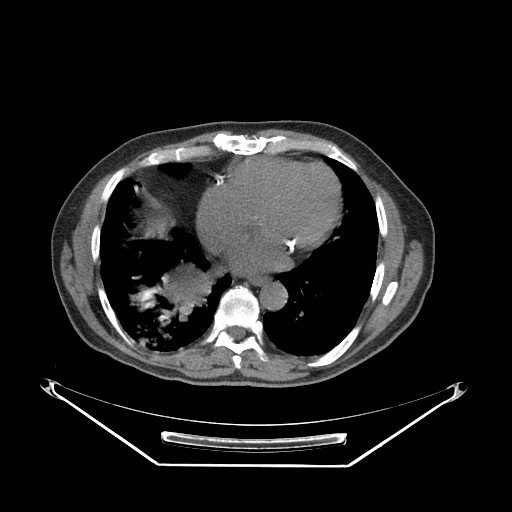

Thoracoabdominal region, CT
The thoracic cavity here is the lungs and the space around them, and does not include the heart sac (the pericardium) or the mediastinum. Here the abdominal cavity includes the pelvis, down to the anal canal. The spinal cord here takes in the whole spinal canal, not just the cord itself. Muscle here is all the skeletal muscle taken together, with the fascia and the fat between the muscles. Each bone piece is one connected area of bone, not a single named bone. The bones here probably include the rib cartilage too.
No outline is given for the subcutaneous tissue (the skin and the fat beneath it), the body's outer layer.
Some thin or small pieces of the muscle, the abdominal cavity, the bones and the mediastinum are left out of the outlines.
The bones appear in 9 outlined pieces: piece 1: 219 132; 229 135; 250 136; 254 134; 266 137; 284 135; 294 139; 330 143; 336 145; 355 164; 357 172; 320 152; 298 149; 246 155; 217 150; 210 156; 192 157; 182 161; 172 160; 138 167; 138 163; 154 151; 210 144; 211 139; piece 2: 239 285; 246 287; 257 299; 258 318; 262 322; 264 334; 262 347; 269 359; 262 361; 257 353; 249 348; 241 352; 240 368; 237 369; 232 359; 234 354; 232 350; 225 346; 215 347; 212 342; 201 344; 201 341; 212 326; 221 296 with a hole at 232 326; 239 326; 240 327; 242 327; 243 328; 244 328; 245 329; 246 329; 246 336; 243 339; 242 339; 241 340; 235 340; 229 334; 229 333; 228 332; 228 329; 230 327; 231 327; piece 3: 359 323; 361 324; 361 328; 357 336; 350 345; 350 346; 338 358; 337 358; 331 363; 326 365; 322 365; 321 366; 306 366; 306 363; 307 362; 315 360; 318 357; 326 353; 335 346; 336 346; 349 333; 349 332; 355 326; 355 325; piece 4: 101 286; 102 286; 104 289; 107 299; 116 316; 116 318; 121 328; 128 336; 134 340; 135 342; 133 345; 133 347; 130 346; 121 337; 121 336; 116 331; 106 316; 102 308; 102 306; 99 299; 99 296; 98 295; 98 287; 100 287; piece 5: 124 166; 127 167; 128 169; 125 172; 123 178; 121 179; 116 184; 110 196; 108 198; 107 202; 106 203; 102 202; 101 201; 101 195; 102 194; 102 191; 104 188; 104 186; 106 184; 106 183; 108 181; 110 177; 118 169; piece 6: 377 194; 379 194; 380 195; 382 199; 382 202; 385 210; 385 215; 386 216; 386 220; 387 221; 387 233; 385 237; 382 237; 379 234; 379 225; 378 224; 378 219; 377 218; 376 208; 375 207; 375 202; 374 201; 374 198; piece 7: 381 260; 382 260; 384 262; 384 273; 383 274; 383 279; 382 280; 379 291; 376 296; 376 298; 375 300; 373 302; 372 302; 370 300; 370 298; 369 297; 369 295; 370 294; 370 290; 371 289; 373 278; 375 274; 376 266; piece 8: 97 224; 98 224; 100 226; 100 235; 99 236; 99 258; 97 260; 97 261; 96 262; 94 262; 92 259; 92 255; 91 254; 91 237; 92 236; 92 232; 93 231; 93 229; 94 228; 94 227; 95 226; 95 225; 96 225; piece 9: 391 281; 397 281; 397 283; 398 284; 398 285; 397 286; 396 291; 395 292; 394 295; 392 297; 391 300; 389 302; 389 303; 386 306; 385 306; 382 304; 382 298; 383 297; 383 295; 386 290; 386 288; 387 287; 388 284. The pericardium is outlined by 253 154; 295 154; 323 162; 333 170; 339 179; 343 206; 341 206; 338 221; 329 237; 314 249; 301 263; 290 269; 279 272; 239 276; 232 273; 206 253; 195 233; 196 214; 201 196; 217 172; 232 160; 234 156; 246 156. The muscle appears in 3 outlined pieces: piece 1: 338 146; 350 154; 391 196; 405 226; 405 242; 415 239; 422 244; 423 249; 422 273; 408 302; 383 331; 353 355; 332 366; 313 370; 308 375; 291 380; 247 377; 237 370; 228 375; 197 378; 174 369; 145 363; 126 354; 104 340; 86 323; 64 285; 60 273; 60 256; 64 240; 71 243; 72 232; 92 189; 98 181; 115 171; 101 191; 100 201; 106 204; 105 211; 101 226; 97 223; 92 229; 90 254; 94 263; 99 259; 100 261; 103 286; 97 287; 97 295; 101 308; 115 331; 130 347; 133 348; 136 343; 151 351; 176 351; 206 334; 200 344; 212 343; 215 348; 225 347; 232 351; 231 359; 238 370; 241 368; 242 352; 249 349; 262 362; 269 361; 269 355; 263 347; 265 336; 286 353; 316 356; 305 363; 306 367; 321 367; 334 362; 358 336; 362 324; 357 321; 368 298; 373 303; 380 291; 385 262; 381 259; 377 263; 378 238; 379 235; 385 238; 388 233; 386 210; 381 195; 377 193; 373 198; 357 173; 356 164 with a hole at 391 281; 397 281; 397 283; 398 284; 398 285; 397 286; 396 291; 395 292; 394 295; 392 297; 391 300; 389 302; 389 303; 386 306; 385 306; 382 304; 382 298; 383 297; 383 295; 386 290; 386 288; 387 287; 388 284; piece 2: 219 130; 230 130; 233 133; 229 134; 224 131; 219 131; 210 139; 209 142; 210 143; 202 143; 189 146; 183 146; 182 145; 177 147; 161 148; 157 150; 154 150; 142 158; 137 163; 137 167; 139 168; 136 169; 131 174; 128 175; 127 177; 124 177; 126 172; 129 169; 127 166; 124 165; 130 162; 139 154; 147 150; 161 145; 181 142; 200 134; 203 134; 207 132; 218 131; piece 3: 270 128; 285 129; 286 130; 292 130; 293 131; 301 132; 302 133; 308 133; 321 138; 324 138; 330 140; 336 144; 330 142; 327 142; 326 141; 323 141; 322 140; 294 138; 293 137; 289 137; 284 134; 276 134; 275 135; 266 136; 265 135; 257 135; 254 133; 252 133; 250 135; 247 135; 245 134; 248 133; 250 134; 251 133; 254 133; 256 131; 259 130; 269 129. The mediastinum appears in 3 outlined pieces: piece 1: 230 153; 244 155; 234 155; 202 192; 194 233; 205 253; 235 276; 279 273; 287 301; 261 320; 258 299; 246 286; 223 293; 231 276; 221 276; 210 266; 176 222; 171 204; 128 178; 140 168; 159 164; 182 176; 190 164; 168 162; piece 2: 291 150; 298 150; 299 151; 311 151; 312 152; 317 152; 318 153; 320 153; 324 155; 323 156; 323 160; 326 163; 319 159; 316 159; 313 157; 309 157; 308 156; 302 155; 301 154; 296 154; 295 153; 277 153; 287 152; piece 3: 342 206; 343 207; 343 208; 346 211; 346 212; 345 213; 345 214; 343 216; 343 217; 341 220; 341 223; 335 229; 335 228; 336 227; 336 226; 337 225; 337 224; 339 221; 339 219; 340 218; 340 216; 341 215; 341 209; 342 208. The abdominal cavity is outlined by 140 186; 149 188; 152 192; 159 195; 170 204; 173 211; 174 220; 178 226; 174 227; 171 230; 170 237; 162 240; 148 240; 134 242; 129 239; 128 235; 128 224; 130 222; 129 218; 133 209; 138 203; 137 193; 138 187; 139 188. The thoracic cavity appears in 3 outlined pieces: piece 1: 124 178; 139 186; 137 203; 127 224; 130 241; 162 241; 171 237; 174 228; 182 228; 195 242; 209 266; 221 277; 230 276; 230 283; 219 298; 207 333; 176 350; 151 350; 137 343; 122 328; 104 288; 100 271; 101 227; 108 200; piece 2: 324 156; 354 171; 373 199; 378 225; 376 265; 368 297; 348 333; 319 356; 295 355; 278 348; 266 337; 262 320; 266 313; 281 310; 288 301; 288 290; 278 274; 298 267; 314 250; 329 242; 331 234; 342 223; 347 212; 340 179; piece 3: 168 163; 170 163; 171 164; 174 164; 175 163; 187 163; 188 164; 189 164; 189 165; 190 166; 189 167; 189 168; 187 170; 187 171; 184 174; 183 174; 182 175; 175 175; 162 167; 162 166; 164 164; 167 164. The torso is outlined by 281 119; 319 121; 350 132; 367 144; 428 210; 435 233; 434 271; 422 306; 410 325; 385 348; 341 374; 292 387; 209 386; 167 380; 121 363; 84 342; 72 327; 58 295; 50 256; 53 223; 81 177; 116 147; 147 132; 222 120. The spinal cord is outlined by 232 326; 239 326; 240 327; 242 327; 243 328; 244 328; 245 329; 246 329; 246 336; 243 339; 242 339; 241 340; 235 340; 229 334; 229 333; 228 332; 228 329; 230 327; 231 327.